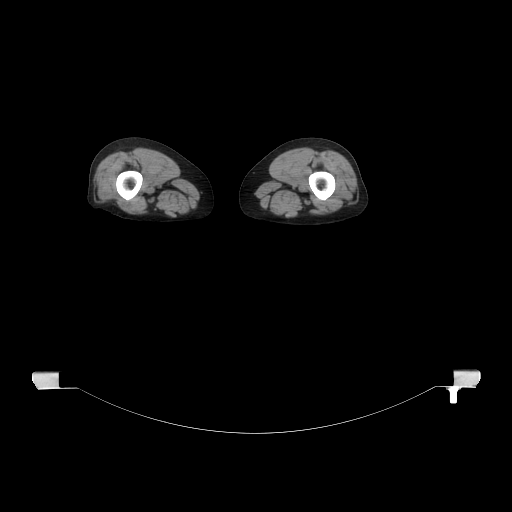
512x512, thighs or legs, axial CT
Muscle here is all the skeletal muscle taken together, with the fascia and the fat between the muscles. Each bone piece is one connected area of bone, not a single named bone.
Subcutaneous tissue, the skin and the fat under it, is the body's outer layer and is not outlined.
Outlines (x, y in pixels):
left leg: (308, 136) (323, 137) (333, 140) (344, 146) (353, 155) (358, 164) (368, 193) (369, 201) (366, 209) (360, 215) (351, 219) (331, 224) (313, 225) (312, 226) (278, 224) (253, 219) (246, 216) (241, 211) (238, 203) (239, 187) (246, 173) (260, 159) (278, 145) (294, 138)
right leg: (128, 136) (146, 137) (164, 143) (179, 152) (200, 168) (209, 179) (213, 190) (214, 206) (211, 213) (202, 219) (175, 222) (154, 222) (133, 221) (123, 219) (107, 211) (92, 208) (88, 204) (86, 199) (88, 187) (88, 172) (91, 161) (96, 153) (107, 143) (115, 139)
muscle 1: (297, 147) (310, 147) (318, 151) (330, 149) (343, 155) (353, 168) (357, 179) (359, 191) (358, 202) (326, 215) (305, 215) (293, 218) (276, 216) (262, 209) (259, 205) (259, 200) (254, 195) (254, 192) (259, 185) (270, 178) (268, 173) (270, 163) (279, 154); inner edge: (317, 170) (323, 170) (324, 171) (327, 171) (331, 173) (334, 176) (334, 178) (335, 179) (335, 189) (333, 193) (329, 197) (328, 197) (324, 200) (321, 200) (319, 199) (313, 193) (313, 192) (310, 189) (310, 187) (308, 183) (308, 177) (309, 175) (312, 172) (316, 171)
muscle 2: (135, 147) (154, 149) (174, 160) (180, 168) (180, 176) (191, 182) (200, 192) (200, 198) (197, 207) (186, 214) (170, 217) (161, 212) (151, 212) (147, 214) (129, 214) (109, 202) (95, 202) (93, 196) (93, 178) (98, 164) (107, 155) (113, 152) (129, 151), around a hole outlined by (130, 169) (131, 170) (136, 170) (140, 172) (142, 175) (143, 179) (142, 180) (142, 183) (141, 184) (140, 189) (138, 192) (131, 199) (126, 200) (117, 192) (116, 187) (115, 186) (115, 181) (116, 180) (117, 175) (120, 172) (125, 170) (129, 170)
bones 1: (130, 169) (131, 170) (136, 170) (140, 172) (142, 175) (143, 179) (142, 180) (142, 183) (141, 184) (140, 189) (138, 192) (131, 199) (126, 200) (117, 192) (116, 187) (115, 186) (115, 181) (116, 180) (117, 175) (120, 172) (125, 170) (129, 170)
bones 2: (317, 170) (323, 170) (324, 171) (327, 171) (331, 173) (334, 176) (334, 178) (335, 179) (335, 189) (333, 193) (329, 197) (328, 197) (324, 200) (321, 200) (319, 199) (313, 193) (313, 192) (310, 189) (310, 187) (308, 183) (308, 177) (309, 175) (312, 172) (316, 171)